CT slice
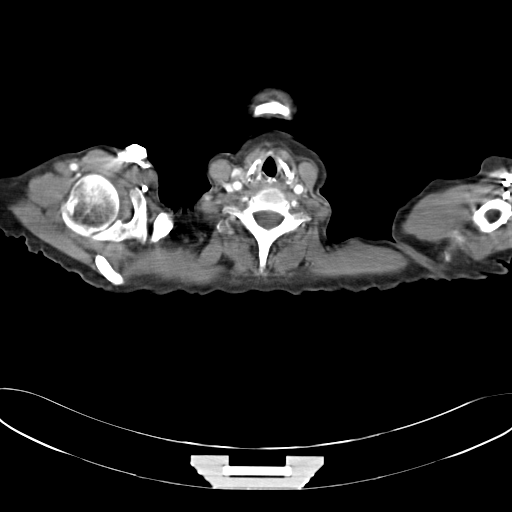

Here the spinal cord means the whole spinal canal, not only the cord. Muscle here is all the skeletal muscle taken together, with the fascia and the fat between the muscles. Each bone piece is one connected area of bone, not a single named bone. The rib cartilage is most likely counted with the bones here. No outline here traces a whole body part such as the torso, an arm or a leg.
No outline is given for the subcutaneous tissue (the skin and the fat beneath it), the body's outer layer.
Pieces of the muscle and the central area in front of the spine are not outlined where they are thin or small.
The muscle appears in 2 outlined pieces: piece 1: [[264,140],[282,141],[316,164],[313,189],[329,211],[326,235],[330,241],[358,240],[392,248],[409,257],[409,265],[399,272],[325,278],[282,276],[267,282],[219,280],[204,285],[143,278],[122,285],[123,276],[104,255],[94,257],[97,272],[34,235],[9,208],[26,196],[32,176],[51,170],[57,161],[79,158],[98,148],[145,159],[155,172],[158,203],[174,212],[191,210],[213,190],[210,169],[215,160],[239,160]], around holes outlined by [[268,150],[294,170],[294,181],[303,190],[284,195],[294,210],[310,219],[271,244],[261,272],[257,241],[250,232],[237,219],[231,222],[231,233],[218,231],[216,224],[228,216],[224,206],[242,209],[258,190],[232,190],[232,170],[239,167],[246,172]] and by [[88,173],[104,176],[115,187],[119,197],[117,217],[123,222],[127,222],[133,215],[130,190],[137,187],[143,192],[146,200],[148,233],[144,243],[137,238],[128,238],[117,242],[94,240],[80,235],[66,226],[62,219],[60,207],[67,200],[78,177]] and by [[162,211],[165,211],[170,214],[171,217],[173,219],[174,224],[173,225],[173,227],[166,236],[160,238],[156,242],[152,242],[151,241],[150,238],[151,237],[151,234],[153,231],[153,223],[154,222],[156,217],[158,215],[158,214],[160,212],[161,212]]; piece 2: [[494,163],[511,168],[511,202],[501,197],[488,199],[470,217],[480,232],[486,234],[511,217],[511,248],[491,254],[483,261],[457,263],[450,267],[436,263],[412,242],[410,235],[402,231],[402,223],[413,206],[426,195],[456,184],[476,183],[487,175]]. The bones appear in 8 outlined pieces: piece 1: [[88,173],[104,176],[115,187],[119,197],[117,217],[123,222],[127,222],[133,215],[130,190],[137,187],[143,192],[146,200],[148,233],[144,243],[137,238],[128,238],[117,242],[94,240],[80,235],[66,226],[62,219],[60,207],[67,200],[78,177]]; piece 2: [[267,186],[283,192],[290,201],[290,206],[310,219],[295,230],[281,235],[271,244],[265,267],[261,272],[257,241],[250,232],[237,219],[231,222],[231,233],[226,229],[218,231],[216,224],[228,216],[222,210],[224,206],[238,206],[242,209],[258,190]] with a hole at [[260,211],[271,211],[272,212],[275,212],[279,214],[282,217],[282,219],[279,222],[278,224],[270,228],[265,228],[263,226],[260,225],[258,223],[255,217],[255,213],[257,212],[259,212]]; piece 3: [[500,198],[501,198],[503,200],[506,200],[511,203],[511,216],[508,218],[505,223],[503,223],[491,232],[488,232],[487,233],[485,232],[481,232],[481,231],[473,222],[472,218],[471,217],[474,214],[476,210],[481,205],[483,205],[488,200],[499,199]]; piece 4: [[162,211],[165,211],[170,214],[171,217],[173,219],[174,224],[173,225],[173,227],[166,236],[160,238],[156,242],[152,242],[151,241],[150,238],[151,237],[151,234],[153,231],[153,223],[154,222],[156,217],[158,215],[158,214],[160,212],[161,212]]; piece 5: [[97,254],[99,254],[100,255],[102,255],[103,256],[104,256],[106,258],[106,259],[109,262],[109,263],[111,265],[111,266],[122,276],[122,277],[124,280],[124,282],[121,285],[114,285],[98,271],[98,268],[95,263],[95,257]]; piece 6: [[272,101],[275,101],[276,102],[281,103],[288,107],[289,108],[289,110],[288,111],[288,113],[286,115],[278,114],[277,113],[262,113],[261,114],[254,115],[254,109],[257,105],[259,104],[262,104],[266,102],[271,102]]; piece 7: [[268,150],[271,150],[273,152],[273,154],[270,154],[268,155],[264,159],[262,163],[259,166],[258,165],[257,166],[257,169],[254,173],[253,173],[250,176],[246,175],[244,173],[247,171],[250,164],[258,156],[260,155],[260,153],[261,152],[265,152]]; piece 8: [[276,157],[280,157],[289,166],[291,170],[294,170],[294,181],[293,181],[291,183],[288,183],[287,184],[286,183],[285,181],[286,180],[286,175],[285,174],[285,172],[284,170],[281,167],[278,167],[278,164],[277,163],[277,160],[276,159]]. The spinal cord is outlined by [[260,211],[271,211],[272,212],[275,212],[279,214],[282,217],[282,219],[279,222],[278,224],[270,228],[265,228],[263,226],[260,225],[258,223],[255,217],[255,213],[257,212],[259,212]]. The central area in front of the spine is outlined by [[274,152],[281,156],[276,156],[275,159],[277,167],[284,172],[285,183],[287,185],[293,182],[301,183],[303,185],[301,193],[284,192],[268,185],[259,189],[232,190],[230,186],[231,174],[235,167],[239,167],[246,176],[250,177],[256,172],[258,166]].